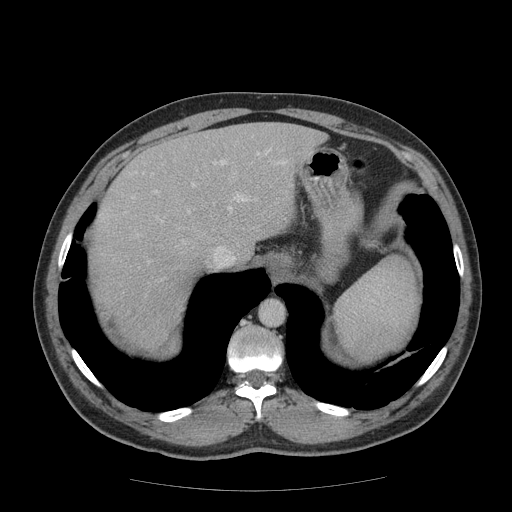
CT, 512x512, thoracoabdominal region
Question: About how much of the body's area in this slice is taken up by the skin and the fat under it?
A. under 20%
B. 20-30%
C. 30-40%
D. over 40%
Answer: A. under 20%
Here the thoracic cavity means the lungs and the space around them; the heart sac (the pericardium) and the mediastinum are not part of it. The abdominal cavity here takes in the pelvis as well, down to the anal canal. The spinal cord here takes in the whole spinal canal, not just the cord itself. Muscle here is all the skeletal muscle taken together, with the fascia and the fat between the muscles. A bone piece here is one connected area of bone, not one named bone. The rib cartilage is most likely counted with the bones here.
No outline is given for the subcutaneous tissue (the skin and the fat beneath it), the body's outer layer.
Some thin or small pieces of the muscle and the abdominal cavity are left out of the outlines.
{"thoracic_cavity":[[[93,202],[95,213],[80,240],[85,254],[85,287],[102,334],[132,360],[159,364],[180,355],[190,299],[203,278],[263,268],[269,279],[269,292],[233,328],[219,382],[191,405],[156,412],[124,403],[97,378],[64,334],[58,310],[61,272],[75,226]],[[427,192],[447,224],[459,277],[448,339],[413,385],[384,405],[356,409],[308,395],[284,361],[289,312],[275,287],[293,284],[317,297],[322,309],[317,344],[328,362],[351,372],[375,369],[407,348],[420,322],[424,272],[406,239],[399,207],[406,196]]],"torso":[[[228,91],[317,94],[372,108],[417,135],[439,158],[457,187],[479,253],[479,326],[449,397],[415,431],[341,455],[252,452],[189,461],[142,451],[104,436],[77,414],[59,388],[42,351],[32,308],[36,265],[59,200],[92,153],[130,121],[174,100]]],"mediastinum":[[[271,288],[274,288],[274,292],[284,300],[288,312],[288,316],[286,321],[284,348],[283,343],[279,335],[276,334],[273,331],[258,324],[248,323],[246,325],[241,326],[233,332],[234,328],[240,320],[252,308],[256,306],[266,297],[270,292]]],"spinal_cord":[[[252,370],[260,370],[261,371],[263,371],[264,372],[267,373],[267,378],[266,379],[266,380],[265,380],[264,381],[264,382],[262,384],[262,385],[261,385],[258,387],[254,387],[253,386],[252,386],[250,384],[250,383],[245,378],[245,374]]],"abdominal_cavity":[[[253,113],[380,144],[423,182],[426,192],[406,195],[398,207],[423,272],[419,322],[406,348],[375,368],[328,361],[318,344],[318,297],[293,283],[272,287],[263,267],[200,279],[182,349],[169,361],[128,357],[98,325],[81,240],[110,177],[169,134]]],"muscle":[{"outer":[[234,107],[249,108],[250,109],[278,109],[279,108],[293,107],[294,108],[314,110],[338,116],[355,124],[370,128],[418,151],[424,155],[437,169],[447,186],[452,196],[456,209],[458,212],[458,215],[461,221],[472,277],[471,281],[472,296],[471,297],[471,303],[469,306],[469,316],[467,321],[467,327],[460,353],[442,383],[419,405],[413,408],[400,418],[378,428],[375,428],[372,430],[367,431],[362,434],[343,440],[332,441],[325,443],[315,443],[314,444],[297,443],[288,440],[275,433],[268,427],[264,425],[260,425],[257,423],[252,425],[248,429],[238,435],[230,437],[227,440],[221,443],[206,446],[186,446],[180,444],[170,443],[167,441],[164,441],[156,438],[151,438],[148,435],[143,434],[136,429],[108,415],[101,409],[97,408],[91,404],[72,384],[67,374],[60,365],[51,341],[46,319],[45,300],[48,294],[46,288],[46,276],[56,239],[67,209],[92,169],[99,160],[110,151],[154,128],[199,112],[207,110],[219,109],[220,108],[233,108]],"holes":[[[253,113],[311,122],[380,144],[404,161],[400,152],[408,152],[423,163],[432,176],[423,186],[437,203],[463,259],[447,352],[420,386],[412,385],[379,407],[350,407],[346,416],[319,410],[284,361],[273,375],[276,393],[262,400],[258,421],[252,401],[235,394],[238,376],[226,365],[217,385],[190,406],[189,415],[162,421],[155,411],[130,406],[93,384],[74,362],[58,310],[60,248],[110,177],[133,154],[169,134]],[[125,151],[129,151],[129,153],[124,158],[119,159],[116,162],[115,165],[113,167],[110,167],[108,170],[107,170],[106,171],[104,171],[103,170],[104,167],[108,162],[109,162],[112,159],[113,159],[115,157],[116,157],[119,154],[120,154]]]}],"bones":[{"outer":[[248,324],[261,326],[279,336],[284,349],[283,363],[273,375],[276,393],[266,396],[262,400],[262,418],[258,421],[255,418],[256,412],[252,401],[246,397],[235,394],[234,387],[238,382],[238,376],[229,368],[226,362],[227,347],[232,334],[241,327]],"hole":[[252,370],[260,370],[261,371],[263,371],[264,372],[267,373],[267,378],[266,379],[266,380],[265,380],[264,381],[264,382],[262,384],[262,385],[261,385],[258,387],[254,387],[253,386],[252,386],[250,384],[250,383],[245,378],[245,374]]},[[446,343],[447,344],[447,352],[440,366],[427,381],[426,381],[420,386],[415,386],[414,384],[419,379],[419,378],[422,375],[422,374],[425,371],[425,370],[429,366],[429,365],[434,359],[434,358],[436,356],[436,355],[438,353],[440,349]],[[71,347],[74,348],[76,350],[76,351],[79,354],[83,361],[86,364],[86,365],[89,368],[89,369],[92,372],[92,373],[104,386],[104,388],[103,389],[93,384],[80,371],[80,370],[74,362],[74,360],[71,355],[71,352],[70,351],[70,348]],[[188,406],[192,407],[193,411],[189,415],[187,415],[184,417],[182,417],[174,421],[170,421],[169,422],[162,421],[158,419],[156,416],[158,412],[162,412],[163,411],[169,411],[170,410],[174,410],[178,408],[181,408],[182,407],[187,407]],[[312,398],[321,402],[324,402],[325,403],[328,403],[329,404],[332,404],[333,405],[336,405],[337,406],[348,408],[350,409],[350,414],[346,416],[338,416],[337,415],[333,415],[329,413],[323,412],[319,410],[314,405],[313,401],[312,400]],[[401,151],[405,151],[406,152],[408,152],[414,157],[415,157],[423,163],[423,164],[427,168],[428,171],[431,174],[432,176],[432,179],[429,184],[426,184],[424,182],[422,178],[419,175],[414,164],[408,161],[402,155],[402,154],[400,152]],[[71,230],[73,230],[73,237],[72,238],[71,243],[69,246],[69,248],[68,249],[68,251],[67,252],[63,266],[61,269],[61,271],[58,269],[58,266],[57,265],[58,255],[59,254],[60,248],[61,247],[61,245],[63,242],[64,238]],[[452,241],[457,243],[457,244],[460,248],[460,250],[462,254],[462,258],[463,259],[463,277],[462,278],[461,278],[459,276],[459,274],[458,273],[458,271],[456,267],[455,258],[454,257],[454,254],[453,253],[453,246],[452,245]],[[125,151],[129,151],[129,153],[124,158],[119,159],[116,162],[115,165],[113,167],[110,167],[108,170],[107,170],[106,171],[104,171],[103,170],[104,167],[108,162],[109,162],[112,159],[113,159],[115,157],[116,157],[119,154],[120,154]]]}